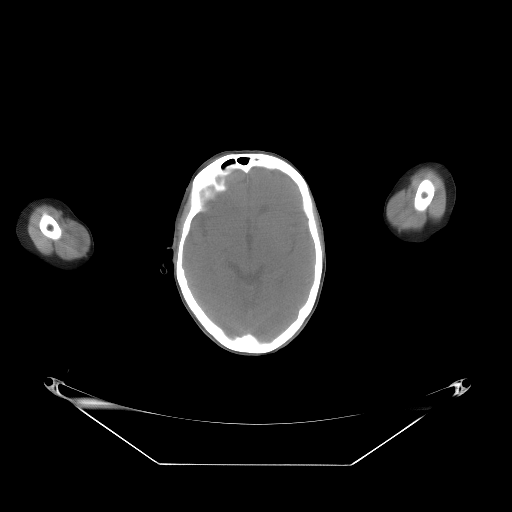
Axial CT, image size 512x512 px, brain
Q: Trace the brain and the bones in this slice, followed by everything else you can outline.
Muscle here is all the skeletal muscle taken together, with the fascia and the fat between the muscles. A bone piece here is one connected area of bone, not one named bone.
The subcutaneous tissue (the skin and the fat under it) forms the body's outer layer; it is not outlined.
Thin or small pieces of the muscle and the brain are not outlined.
A: {"brain":[[[254,167],[279,171],[296,185],[314,251],[312,280],[305,300],[298,308],[295,318],[269,340],[260,340],[250,332],[234,336],[227,334],[197,301],[183,266],[184,247],[192,221],[204,210],[206,200],[227,189],[225,178],[232,172],[240,170],[247,173]]],"bones":[{"outer":[[228,153],[273,155],[286,161],[302,175],[312,197],[314,217],[323,250],[320,284],[311,311],[290,339],[281,346],[262,353],[232,350],[217,341],[189,308],[176,279],[175,264],[178,243],[183,223],[190,209],[189,196],[192,180],[202,168],[216,158]],"hole":[[254,167],[279,171],[296,185],[314,251],[312,280],[305,300],[298,308],[295,318],[269,340],[260,340],[250,332],[234,336],[227,334],[197,301],[183,266],[184,247],[192,221],[204,210],[206,200],[227,189],[225,178],[232,172],[240,170],[247,173]]},[[425,178],[427,178],[429,179],[433,183],[433,184],[435,186],[435,191],[434,192],[433,197],[430,203],[426,208],[426,209],[423,211],[418,211],[414,208],[414,197],[415,196],[415,193],[416,192],[416,190],[417,189],[417,187],[419,183],[423,179]],[[44,212],[46,212],[48,214],[52,216],[53,218],[58,223],[59,226],[61,228],[61,230],[62,231],[61,236],[58,239],[56,240],[51,239],[47,237],[45,235],[44,235],[42,233],[42,232],[39,228],[39,221],[40,220],[40,218],[42,214]]],"head":[[[229,149],[267,150],[288,159],[306,181],[323,226],[326,273],[319,309],[305,331],[273,355],[236,356],[218,348],[194,325],[180,303],[172,264],[166,265],[166,274],[159,271],[162,261],[172,256],[165,247],[172,242],[175,215],[191,175],[210,156]]],"left_arm":[[[425,157],[437,158],[445,163],[450,169],[456,185],[456,201],[451,216],[451,219],[449,223],[443,229],[434,234],[429,240],[424,243],[420,243],[419,244],[407,244],[396,239],[387,230],[382,219],[383,206],[387,195],[406,168],[416,160]]],"right_arm":[[[46,195],[47,196],[56,197],[63,201],[88,226],[91,231],[95,246],[94,254],[87,264],[77,270],[65,271],[64,270],[57,269],[45,263],[37,257],[26,251],[18,242],[15,233],[15,223],[20,209],[28,200],[38,196],[45,196]]],"muscle":[{"outer":[[425,166],[430,166],[436,168],[444,179],[447,193],[447,201],[446,202],[445,213],[443,217],[430,228],[425,229],[419,232],[408,232],[407,231],[401,231],[400,232],[394,228],[387,220],[386,217],[387,204],[390,198],[397,191],[407,178],[416,170]],"hole":[[425,178],[427,178],[429,179],[433,183],[433,184],[435,186],[435,191],[434,192],[433,197],[430,203],[426,208],[426,209],[423,211],[418,211],[414,208],[414,197],[415,196],[415,193],[416,192],[416,190],[417,189],[417,187],[419,183],[423,179]]},{"outer":[[43,203],[51,204],[63,209],[83,225],[86,229],[90,238],[90,248],[85,256],[73,260],[56,260],[49,256],[46,256],[40,253],[36,249],[32,243],[30,238],[28,236],[26,227],[27,226],[28,217],[33,208],[36,205],[42,204]],"hole":[[44,212],[46,212],[48,214],[52,216],[53,218],[58,223],[59,226],[61,228],[61,230],[62,231],[61,236],[58,239],[56,240],[51,239],[47,237],[45,235],[44,235],[42,233],[42,232],[39,228],[39,221],[40,220],[40,218],[42,214]]},[[190,187],[189,195],[188,196],[189,209],[184,218],[184,220],[181,226],[181,232],[180,233],[179,240],[177,243],[177,251],[176,252],[176,259],[175,263],[175,258],[176,257],[176,255],[175,254],[175,243],[176,242],[177,223],[183,205],[187,199],[187,196]]]}